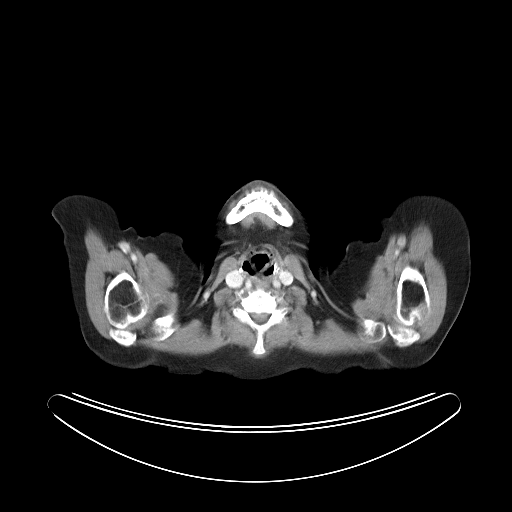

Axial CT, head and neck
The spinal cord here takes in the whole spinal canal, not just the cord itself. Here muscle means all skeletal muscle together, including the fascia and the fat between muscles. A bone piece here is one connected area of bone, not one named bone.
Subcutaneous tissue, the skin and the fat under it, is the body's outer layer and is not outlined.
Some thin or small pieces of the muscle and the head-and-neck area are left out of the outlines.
spinal cord: (253, 312) (254, 313) (267, 313) (268, 314) (269, 314) (269, 316) (268, 317) (268, 318) (267, 319) (267, 320) (265, 322) (264, 322) (263, 323) (257, 323) (255, 321) (254, 321) (252, 319) (252, 318) (250, 316) (250, 313) (252, 313)
bones 1: (406, 266) (416, 268) (421, 273) (430, 298) (430, 316) (421, 324) (415, 323) (412, 326) (419, 333) (419, 338) (405, 347) (398, 347) (389, 334) (379, 339) (379, 332) (371, 342) (362, 340) (360, 322) (363, 318) (391, 325) (395, 323) (393, 314) (396, 289) (401, 272)
bones 2: (121, 271) (127, 272) (142, 288) (143, 292) (148, 295) (149, 299) (146, 314) (140, 320) (132, 323) (127, 328) (136, 333) (136, 339) (134, 344) (128, 347) (119, 344) (110, 336) (109, 331) (113, 326) (108, 321) (103, 308) (104, 307) (104, 297) (107, 285) (112, 278)
bones 3: (255, 288) (262, 288) (273, 295) (282, 297) (281, 304) (288, 307) (285, 319) (272, 325) (264, 333) (265, 352) (260, 355) (252, 352) (257, 339) (256, 332) (248, 324) (239, 321) (231, 309) (240, 303) (239, 300) (236, 300) (236, 293) (241, 293) (243, 296) (247, 290) with a hole at (253, 312) (254, 313) (267, 313) (268, 314) (269, 314) (269, 316) (268, 317) (268, 318) (267, 319) (267, 320) (265, 322) (264, 322) (263, 323) (257, 323) (255, 321) (254, 321) (252, 319) (252, 318) (250, 316) (250, 313) (252, 313)
bones 4: (262, 187) (264, 187) (270, 191) (272, 190) (274, 192) (280, 203) (292, 216) (293, 218) (292, 225) (288, 227) (281, 225) (269, 216) (260, 211) (252, 212) (238, 222) (232, 224) (227, 224) (225, 222) (225, 216) (238, 201) (247, 192) (250, 192) (251, 190) (258, 191)
bones 5: (173, 311) (175, 311) (175, 316) (176, 317) (176, 322) (178, 324) (178, 326) (177, 328) (175, 330) (175, 331) (167, 338) (163, 340) (158, 340) (157, 339) (155, 339) (154, 337) (156, 336) (151, 329) (153, 320) (158, 317) (160, 317) (161, 316) (166, 315)
torso: (189, 308) (209, 331) (247, 361) (285, 358) (341, 311) (429, 344) (438, 350) (426, 363) (407, 371) (366, 371) (355, 368) (338, 375) (322, 375) (300, 369) (258, 381) (241, 380) (219, 372) (175, 375) (159, 367) (120, 368) (102, 361) (88, 348) (117, 345) (137, 339)
left arm: (417, 192) (436, 192) (454, 200) (461, 208) (469, 229) (471, 258) (469, 286) (462, 307) (439, 348) (354, 317) (335, 307) (316, 276) (316, 260) (325, 258) (331, 269) (344, 253) (350, 240) (355, 238) (365, 241) (376, 240) (380, 236) (378, 219) (387, 216) (402, 198)
muscle: (256, 182) (268, 184) (289, 204) (297, 222) (292, 238) (298, 243) (295, 248) (305, 272) (346, 311) (390, 234) (408, 234) (420, 221) (427, 223) (433, 251) (447, 279) (446, 308) (437, 331) (414, 343) (420, 333) (413, 326) (431, 316) (432, 306) (424, 276) (406, 265) (395, 289) (394, 323) (366, 317) (359, 322) (362, 341) (371, 343) (379, 333) (379, 340) (389, 335) (396, 346) (337, 355) (285, 347) (263, 358) (250, 356) (236, 345) (199, 356) (132, 346) (137, 333) (128, 328) (147, 314) (150, 299) (125, 270) (106, 285) (102, 308) (113, 340) (102, 336) (85, 303) (86, 227) (96, 228) (108, 244) (124, 239) (143, 253) (155, 253) (174, 274) (175, 290) (186, 306) (202, 295) (232, 246) (223, 218) (228, 204); inner edges: (255, 288) (262, 288) (273, 295) (282, 297) (281, 304) (288, 307) (285, 319) (272, 325) (264, 333) (265, 352) (260, 355) (252, 352) (257, 339) (256, 332) (248, 324) (239, 321) (231, 309) (240, 303) (239, 300) (236, 300) (236, 293) (241, 293) (243, 296) (247, 290), then (262, 187) (264, 187) (270, 191) (272, 190) (274, 192) (280, 203) (292, 216) (293, 218) (292, 225) (288, 227) (281, 225) (269, 216) (260, 211) (252, 212) (238, 222) (232, 224) (227, 224) (225, 222) (225, 216) (238, 201) (247, 192) (250, 192) (251, 190) (258, 191), then (173, 311) (175, 311) (175, 316) (176, 317) (176, 322) (178, 324) (178, 326) (177, 328) (175, 330) (175, 331) (167, 338) (163, 340) (158, 340) (157, 339) (155, 339) (154, 337) (156, 336) (151, 329) (153, 320) (158, 317) (160, 317) (161, 316) (166, 315), then (259, 254) (263, 254) (267, 256) (268, 258) (267, 262) (259, 268) (256, 268) (254, 267) (253, 268) (252, 272) (248, 274) (244, 273) (242, 269) (242, 266) (243, 264) (247, 263) (251, 266) (252, 266) (253, 265) (253, 263) (252, 262) (252, 259) (253, 257), then (267, 266) (269, 266) (270, 267) (271, 267) (271, 268) (272, 269) (272, 272) (271, 273) (271, 274) (270, 275) (269, 275) (268, 276) (265, 276) (264, 275) (263, 275) (263, 274) (262, 273) (262, 271) (263, 270) (263, 269) (264, 269) (265, 268) (265, 267) (266, 267)
right arm: (73, 193) (88, 194) (107, 201) (117, 211) (121, 226) (133, 226) (142, 236) (156, 235) (166, 230) (175, 232) (196, 260) (204, 257) (207, 260) (204, 281) (191, 305) (137, 338) (117, 344) (88, 347) (70, 297) (62, 232) (51, 215) (53, 205) (62, 197)
head and neck: (258, 177) (268, 178) (274, 182) (308, 219) (309, 233) (311, 237) (310, 268) (331, 304) (340, 310) (288, 355) (282, 358) (269, 360) (247, 360) (243, 358) (209, 330) (190, 307) (209, 274) (219, 244) (213, 237) (213, 224) (216, 214) (226, 199) (244, 182) (250, 178) with holes at (259, 254) (263, 254) (267, 256) (268, 258) (267, 262) (259, 268) (256, 268) (254, 267) (253, 268) (252, 272) (248, 274) (244, 273) (242, 269) (242, 266) (243, 264) (247, 263) (251, 266) (252, 266) (253, 265) (253, 263) (252, 262) (252, 259) (253, 257) and at (267, 266) (269, 266) (270, 267) (271, 267) (271, 268) (272, 269) (272, 272) (271, 273) (271, 274) (270, 275) (269, 275) (268, 276) (265, 276) (264, 275) (263, 275) (263, 274) (262, 273) (262, 271) (263, 270) (263, 269) (264, 269) (265, 268) (265, 267) (266, 267)